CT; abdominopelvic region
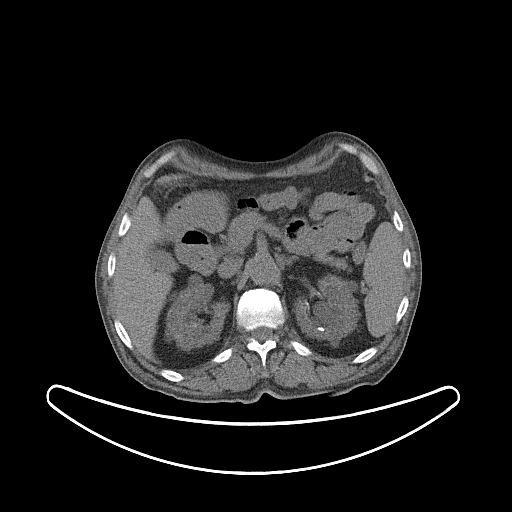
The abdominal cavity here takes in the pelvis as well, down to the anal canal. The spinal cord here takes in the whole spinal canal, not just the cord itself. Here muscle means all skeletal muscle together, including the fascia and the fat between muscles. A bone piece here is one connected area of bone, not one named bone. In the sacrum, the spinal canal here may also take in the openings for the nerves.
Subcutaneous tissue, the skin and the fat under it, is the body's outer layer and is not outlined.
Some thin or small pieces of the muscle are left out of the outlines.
The bones appear in 13 outlined pieces: piece 1: (253, 288) (266, 288) (274, 291) (281, 302) (285, 319) (284, 323) (280, 325) (275, 332) (279, 339) (276, 346) (267, 353) (266, 364) (264, 367) (260, 356) (255, 351) (249, 350) (246, 347) (247, 334) (242, 327) (238, 326) (236, 318) (237, 305) (240, 296) (244, 291) with a hole at (261, 326) (264, 326) (265, 327) (267, 327) (272, 330) (272, 337) (271, 338) (269, 338) (268, 339) (265, 340) (261, 343) (260, 342) (259, 342) (256, 339) (255, 339) (252, 336) (252, 335) (251, 334) (251, 332) (254, 329) (255, 329) (258, 327) (260, 327); piece 2: (339, 143) (347, 143) (348, 144) (350, 144) (359, 152) (362, 152) (368, 157) (369, 157) (375, 164) (378, 170) (378, 173) (377, 174) (374, 174) (371, 171) (370, 171) (366, 167) (366, 166) (364, 165) (362, 161) (357, 155) (350, 153) (345, 150) (340, 149) (339, 147); piece 3: (170, 151) (174, 151) (175, 152) (175, 154) (167, 162) (166, 162) (160, 167) (159, 167) (151, 176) (150, 176) (149, 177) (145, 177) (144, 176) (144, 172) (148, 168) (149, 168) (150, 167) (150, 166) (158, 158) (159, 158) (162, 155) (164, 155) (166, 153) (167, 153); piece 4: (116, 318) (118, 318) (119, 319) (119, 320) (123, 325) (125, 330) (127, 332) (127, 334) (131, 341) (131, 343) (133, 345) (133, 348) (132, 349) (129, 349) (124, 344) (124, 343) (119, 337) (119, 336) (116, 331) (115, 326) (114, 325) (114, 319) (115, 319); piece 5: (373, 346) (375, 346) (377, 348) (377, 351) (370, 358) (369, 358) (367, 360) (366, 360) (363, 362) (360, 362) (359, 363) (352, 363) (352, 360) (359, 353) (360, 353) (362, 351) (363, 351) (364, 350) (365, 350) (366, 349) (367, 349) (370, 347) (372, 347); piece 6: (290, 340) (294, 340) (295, 341) (297, 341) (298, 342) (299, 342) (300, 343) (305, 345) (307, 347) (308, 347) (312, 351) (312, 354) (311, 354) (310, 355) (301, 355) (300, 354) (299, 354) (292, 347) (288, 347) (287, 346) (286, 346) (286, 345) (289, 342) (289, 341); piece 7: (163, 368) (166, 368) (167, 369) (170, 369) (171, 370) (173, 370) (174, 371) (176, 371) (177, 372) (180, 373) (184, 377) (184, 378) (182, 380) (181, 380) (180, 381) (177, 381) (176, 382) (175, 381) (171, 381) (170, 380) (165, 378) (160, 374) (160, 370); piece 8: (125, 212) (127, 212) (129, 214) (129, 215) (131, 217) (131, 224) (129, 226) (129, 227) (128, 228) (128, 229) (127, 230) (127, 231) (122, 236) (119, 236) (118, 235) (118, 229) (119, 228) (119, 225) (121, 222) (121, 220) (122, 219) (122, 217) (123, 216) (123, 215); piece 9: (405, 295) (406, 296) (407, 296) (407, 297) (408, 298) (408, 305) (407, 306) (406, 311) (402, 316) (401, 319) (399, 321) (399, 322) (398, 323) (396, 323) (395, 322) (395, 317) (396, 316) (396, 313) (397, 312) (397, 310) (398, 309) (398, 306) (402, 299) (402, 297); piece 10: (229, 347) (231, 347) (232, 348) (232, 353) (231, 354) (230, 357) (228, 359) (227, 359) (226, 360) (225, 360) (222, 362) (212, 362) (211, 361) (211, 359) (214, 356) (215, 356) (218, 353) (219, 353) (220, 352) (223, 351) (225, 349) (226, 349); piece 11: (111, 252) (114, 252) (115, 253) (115, 255) (116, 256) (116, 259) (115, 260) (115, 268) (114, 269) (114, 271) (113, 272) (113, 275) (111, 277) (109, 277) (108, 276) (108, 275) (107, 274) (107, 262) (108, 261) (108, 258) (109, 257) (109, 255) (110, 254) (110, 253); piece 12: (395, 210) (398, 213) (398, 214) (399, 215) (399, 216) (400, 217) (400, 218) (402, 221) (402, 223) (403, 224) (403, 230) (402, 231) (398, 231) (396, 229) (396, 228) (395, 227) (395, 226) (394, 225) (394, 224) (392, 221) (392, 215) (393, 214) (393, 212); piece 13: (405, 248) (408, 248) (409, 249) (409, 251) (410, 252) (410, 257) (411, 258) (411, 263) (410, 264) (410, 267) (409, 268) (406, 268) (405, 267) (404, 267) (404, 264) (403, 263) (403, 258) (402, 257) (403, 256) (403, 250). The muscle is outlined by (333, 138) (357, 143) (377, 160) (413, 240) (415, 293) (393, 356) (366, 375) (319, 389) (285, 387) (271, 378) (261, 378) (243, 391) (205, 396) (156, 385) (133, 371) (111, 330) (100, 271) (130, 189) (152, 160) (143, 172) (149, 179) (131, 216) (125, 211) (121, 217) (117, 252) (111, 251) (106, 262) (118, 316) (113, 325) (129, 350) (135, 348) (161, 368) (159, 374) (165, 379) (180, 382) (185, 377) (178, 370) (209, 360) (222, 363) (231, 357) (231, 346) (221, 349) (236, 319) (246, 334) (245, 347) (259, 356) (264, 368) (268, 353) (280, 339) (276, 332) (286, 321) (285, 307) (287, 323) (303, 342) (290, 339) (285, 346) (301, 356) (313, 352) (332, 358) (357, 354) (351, 363) (359, 364) (378, 351) (376, 346) (394, 320) (398, 324) (407, 311) (404, 268) (411, 267) (412, 258) (410, 249) (402, 248) (398, 233) (404, 230) (403, 221) (395, 209) (391, 215) (388, 210) (375, 175) (379, 170) (369, 156) (350, 143) (339, 142) (337, 156) (323, 170) (249, 179) (203, 176) (166, 163) (176, 154) (174, 150) (158, 157) (181, 145) (193, 155) (228, 169) (264, 173) (317, 153). The abdominal cavity is outlined by (340, 150) (357, 156) (375, 176) (401, 241) (403, 291) (384, 337) (358, 353) (320, 354) (288, 323) (279, 295) (253, 287) (239, 296) (233, 328) (210, 359) (177, 371) (148, 361) (119, 318) (113, 276) (136, 202) (155, 172) (168, 164) (217, 179) (283, 178) (323, 171). The torso is outlined by (332, 130) (351, 133) (377, 152) (418, 236) (421, 291) (405, 347) (393, 369) (374, 385) (334, 396) (279, 399) (263, 393) (252, 403) (180, 400) (150, 390) (132, 378) (107, 336) (96, 299) (94, 273) (106, 230) (142, 159) (160, 144) (185, 137) (231, 157) (271, 160). The spinal cord is outlined by (261, 326) (264, 326) (265, 327) (267, 327) (272, 330) (272, 337) (271, 338) (269, 338) (268, 339) (265, 340) (261, 343) (260, 342) (259, 342) (256, 339) (255, 339) (252, 336) (252, 335) (251, 334) (251, 332) (254, 329) (255, 329) (258, 327) (260, 327).